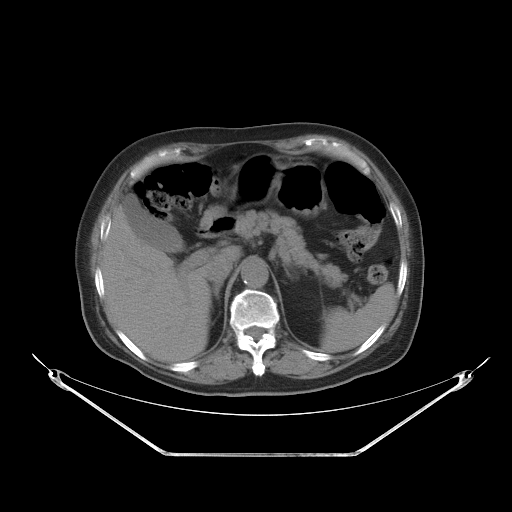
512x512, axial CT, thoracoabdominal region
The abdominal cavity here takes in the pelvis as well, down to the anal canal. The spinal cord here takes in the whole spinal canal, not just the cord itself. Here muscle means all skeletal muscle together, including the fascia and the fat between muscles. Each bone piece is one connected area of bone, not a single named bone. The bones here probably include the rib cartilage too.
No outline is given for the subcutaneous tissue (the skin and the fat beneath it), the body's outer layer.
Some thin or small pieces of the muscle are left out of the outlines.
{"spinal_cord":[[[252,326],[257,326],[258,327],[261,327],[262,328],[265,329],[265,332],[264,332],[261,335],[260,338],[259,338],[257,340],[255,340],[253,338],[253,337],[252,336],[251,336],[250,335],[247,334],[245,332],[245,330],[247,328],[249,328]]],"mediastinum":[[[252,258],[257,258],[260,260],[262,260],[267,264],[275,285],[276,293],[278,297],[278,301],[277,302],[275,301],[268,292],[254,288],[244,288],[238,292],[234,297],[231,297],[229,295],[231,290],[232,282],[236,277],[240,268],[244,263]]],"muscle":[[[305,134],[335,136],[363,152],[386,178],[405,210],[411,247],[410,281],[407,306],[390,339],[364,358],[325,376],[295,379],[265,373],[263,354],[276,347],[275,328],[280,321],[289,337],[303,347],[301,352],[312,360],[324,362],[332,355],[354,350],[352,354],[356,356],[365,351],[385,330],[384,322],[396,294],[402,294],[408,274],[406,260],[400,260],[398,229],[403,221],[399,207],[393,201],[388,205],[369,177],[371,169],[363,158],[339,141],[312,136],[303,140],[311,150],[300,152],[280,151],[261,143],[236,143],[202,156],[187,157],[180,157],[180,147],[160,149],[130,170],[133,182],[121,194],[113,215],[105,215],[99,225],[99,238],[104,241],[101,269],[97,266],[93,274],[94,286],[98,296],[105,298],[117,327],[115,333],[128,349],[144,361],[150,358],[169,364],[173,372],[185,373],[199,365],[198,358],[222,346],[229,326],[238,349],[251,355],[253,374],[222,384],[194,383],[157,372],[118,347],[105,333],[96,313],[90,237],[101,207],[122,173],[151,150],[174,142],[275,140]]],"bones":[{"outer":[[244,289],[254,289],[268,293],[277,304],[277,310],[279,314],[279,322],[274,328],[276,344],[275,347],[268,348],[262,354],[261,359],[265,370],[264,373],[260,376],[253,373],[253,357],[248,351],[239,349],[236,344],[235,333],[229,325],[231,301]],"hole":[[252,326],[257,326],[258,327],[261,327],[262,328],[265,329],[265,332],[264,332],[261,335],[260,338],[259,338],[257,340],[255,340],[253,338],[253,337],[252,336],[251,336],[250,335],[247,334],[245,332],[245,330],[247,328],[249,328]]},[[312,137],[323,137],[324,138],[326,138],[329,141],[336,141],[343,144],[366,162],[370,169],[369,174],[368,175],[364,174],[349,161],[337,155],[326,153],[321,150],[312,150],[309,146],[305,145],[304,143],[304,140],[305,139],[311,138]],[[175,148],[180,148],[181,150],[180,156],[176,159],[170,159],[161,163],[159,165],[151,167],[147,169],[136,179],[132,179],[130,177],[130,172],[131,170],[135,166],[138,165],[146,157],[151,156],[157,153],[160,150],[163,150],[164,149],[174,149]],[[383,323],[385,323],[386,325],[385,326],[384,330],[378,337],[378,338],[369,347],[368,347],[365,350],[364,350],[362,352],[356,355],[354,355],[353,353],[355,351],[355,350],[362,343],[363,343],[378,328],[378,327],[380,326],[380,325],[381,325]],[[117,329],[120,330],[136,346],[137,346],[137,347],[139,348],[142,352],[143,352],[143,353],[147,357],[148,359],[147,360],[144,360],[140,358],[129,348],[128,348],[124,344],[124,343],[117,335],[116,333],[116,330]],[[402,259],[405,260],[407,264],[407,274],[406,275],[406,279],[405,280],[405,283],[403,287],[403,290],[401,294],[399,296],[398,296],[397,295],[397,282],[398,281],[398,275],[399,274],[399,267],[400,266],[400,261]],[[193,360],[195,360],[197,361],[198,363],[198,365],[196,367],[194,368],[192,368],[185,372],[182,372],[181,371],[173,371],[169,368],[169,365],[170,364],[173,364],[174,363],[178,363],[179,362],[187,362],[188,361],[192,361]],[[97,267],[100,268],[101,270],[101,273],[102,274],[102,277],[103,278],[103,285],[104,286],[104,296],[102,298],[101,298],[99,296],[97,292],[97,290],[95,286],[95,282],[94,281],[94,274],[95,273],[95,270]],[[303,348],[310,350],[311,351],[314,351],[315,352],[320,352],[321,353],[326,353],[327,354],[330,354],[332,357],[331,359],[329,360],[325,360],[324,361],[321,361],[320,360],[315,360],[308,357],[304,353],[303,353],[301,350],[301,349]],[[107,215],[108,215],[111,218],[111,223],[110,224],[110,227],[109,228],[109,232],[108,233],[108,234],[107,235],[107,237],[105,239],[105,240],[102,240],[100,238],[100,225],[101,224],[101,221],[102,220],[102,219],[105,216],[106,216]],[[390,202],[393,202],[398,207],[400,211],[400,215],[401,216],[401,220],[402,221],[402,224],[401,225],[401,227],[399,228],[397,228],[395,224],[395,222],[393,219],[393,217],[388,207]]],"abdominal_cavity":[[[236,144],[337,156],[368,176],[385,200],[399,243],[395,298],[384,321],[355,349],[331,354],[308,349],[290,337],[280,320],[270,268],[257,257],[244,262],[231,282],[223,343],[201,357],[156,361],[112,319],[105,297],[102,254],[122,194],[151,168]]],"torso":[[[292,121],[337,125],[365,137],[395,167],[415,200],[422,227],[425,265],[420,317],[407,353],[384,370],[319,391],[230,397],[199,395],[167,386],[100,350],[92,341],[81,314],[74,245],[85,202],[107,163],[129,143],[159,131],[189,126],[244,127]]]}